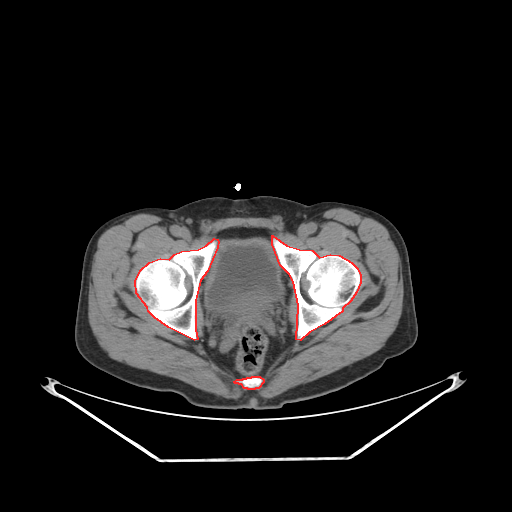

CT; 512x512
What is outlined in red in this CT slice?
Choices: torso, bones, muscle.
red: bones.
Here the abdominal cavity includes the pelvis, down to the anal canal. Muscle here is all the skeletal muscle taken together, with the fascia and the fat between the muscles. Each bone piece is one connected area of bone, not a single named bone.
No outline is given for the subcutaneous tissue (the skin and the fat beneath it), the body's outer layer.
bones 1: [[272,235],[286,245],[299,249],[312,250],[319,257],[330,254],[339,255],[351,262],[357,268],[360,275],[360,282],[356,292],[350,301],[342,308],[342,311],[324,324],[309,332],[300,340],[296,339],[298,305],[293,281],[289,274],[280,265],[272,244]]
bones 2: [[214,238],[217,239],[218,241],[217,247],[207,271],[200,280],[195,300],[195,329],[197,339],[194,340],[168,327],[154,317],[148,311],[147,307],[136,293],[135,281],[140,270],[149,262],[160,258],[169,259],[174,254],[181,251],[198,249],[206,245]]
bones 3: [[252,376],[259,376],[263,379],[263,382],[258,388],[255,388],[254,389],[248,389],[247,388],[244,388],[241,384],[239,384],[238,383],[235,383],[234,382],[234,381],[237,379],[242,379],[243,378],[246,378],[247,377],[251,377]]
torso: [[260,195],[308,205],[322,201],[359,205],[380,213],[398,229],[408,251],[418,324],[411,348],[337,391],[264,410],[194,406],[179,394],[122,381],[81,356],[74,341],[74,325],[82,261],[87,243],[100,225],[143,207],[173,209],[213,196],[236,199]]
abdominal cavity: [[237,228],[258,228],[269,233],[271,235],[271,244],[279,265],[289,276],[289,302],[287,305],[288,342],[273,363],[261,375],[252,375],[246,377],[238,375],[220,365],[208,352],[205,336],[206,322],[204,298],[207,272],[218,247],[219,235],[226,230]]
muscle: [[337,207],[379,219],[389,229],[399,251],[403,279],[401,316],[384,346],[371,355],[271,398],[263,398],[250,390],[234,399],[114,360],[98,344],[88,321],[91,264],[99,237],[120,219],[149,213],[190,226],[217,218],[279,216],[286,225],[295,227]] with a hole at [[237,228],[262,229],[319,257],[339,255],[360,275],[356,292],[342,311],[300,340],[296,339],[297,299],[288,277],[288,342],[254,389],[235,383],[243,377],[208,352],[206,272],[195,300],[196,340],[154,317],[135,288],[138,273],[149,262],[198,249]]